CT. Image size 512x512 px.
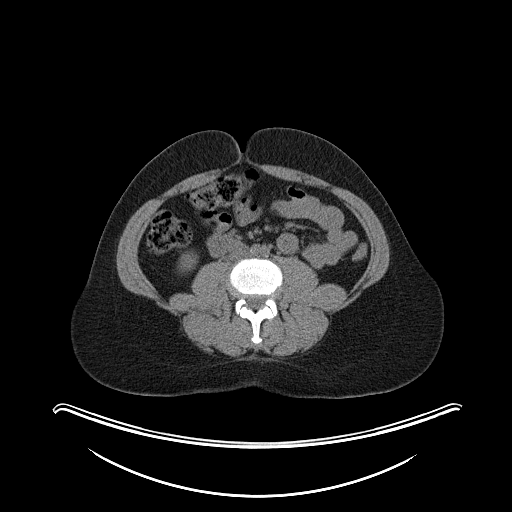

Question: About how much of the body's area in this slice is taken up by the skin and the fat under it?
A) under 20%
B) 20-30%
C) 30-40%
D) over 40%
Answer: D) over 40%
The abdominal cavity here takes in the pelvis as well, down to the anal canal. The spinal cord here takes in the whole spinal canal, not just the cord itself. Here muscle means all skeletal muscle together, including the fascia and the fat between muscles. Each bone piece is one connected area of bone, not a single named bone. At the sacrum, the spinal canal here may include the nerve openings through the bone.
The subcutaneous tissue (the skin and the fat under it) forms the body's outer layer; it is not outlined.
Outlines:
torso: 274,126 301,129 330,141 351,157 381,192 443,297 444,331 433,362 400,388 341,399 286,397 257,388 148,396 118,391 92,379 72,351 70,315 103,228 131,180 160,151 190,133 223,130 243,150 250,134
abdominal cavity: 240,164 325,189 343,201 370,245 368,263 349,291 334,282 319,282 316,272 295,256 281,256 276,262 252,256 233,264 210,261 195,274 192,293 176,291 167,299 162,297 138,261 140,240 152,215 168,198
bones: 252,257 273,261 279,266 282,273 282,283 273,294 278,313 271,319 265,318 261,321 259,329 261,341 259,343 254,343 251,340 252,326 250,321 235,312 235,302 237,298 230,292 228,281 232,266 242,258, around a hole outlined by 248,295 259,295 260,296 264,296 264,297 265,298 264,299 264,302 263,303 263,305 261,307 260,307 258,309 257,309 256,310 253,310 252,309 249,308 246,305 247,304 247,300 246,299 246,298
spinal cord: 248,295 259,295 260,296 264,296 264,297 265,298 264,299 264,302 263,303 263,305 261,307 260,307 258,309 257,309 256,310 253,310 252,309 249,308 246,305 247,304 247,300 246,299 246,298
muscle: 240,156 260,164 300,170 349,190 373,210 387,238 390,257 384,275 335,312 332,328 323,341 300,358 277,358 254,350 235,358 210,355 182,337 176,316 126,289 117,274 119,239 141,205 187,177 222,168, around a hole outlined by 240,164 329,191 357,218 370,245 368,263 349,291 319,282 297,257 281,256 282,283 273,294 278,313 261,321 259,343 251,340 250,321 235,312 230,262 202,265 192,293 165,299 138,261 142,235 162,203